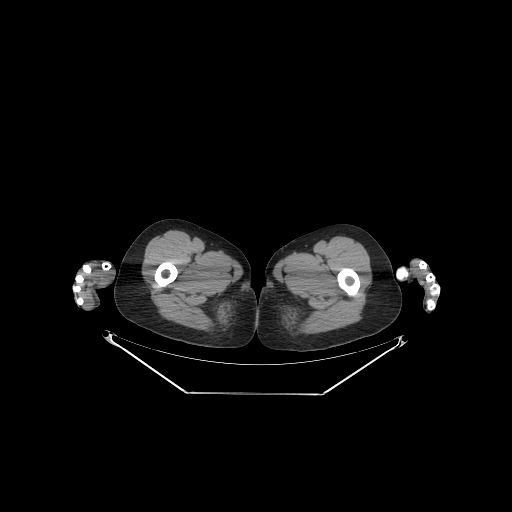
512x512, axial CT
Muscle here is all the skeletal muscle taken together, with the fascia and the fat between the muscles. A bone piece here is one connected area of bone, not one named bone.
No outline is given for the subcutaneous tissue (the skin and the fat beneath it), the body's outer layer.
The right arm is outlined by [[89,259],[104,259],[107,262],[113,264],[117,271],[112,281],[112,283],[104,288],[100,288],[97,290],[97,293],[100,299],[100,304],[95,309],[87,311],[78,307],[77,305],[78,304],[74,298],[73,282],[75,280],[76,272],[78,268],[85,261]]. The right leg is outlined by [[165,218],[180,218],[206,228],[237,246],[247,258],[251,268],[251,284],[256,297],[257,322],[252,339],[243,347],[233,349],[218,349],[190,345],[181,341],[172,340],[136,325],[123,317],[118,311],[113,297],[113,281],[125,252],[142,230],[150,224]]. The left arm is outlined by [[414,257],[420,258],[430,267],[431,272],[435,278],[435,281],[439,287],[439,294],[435,300],[435,305],[429,313],[427,313],[423,309],[422,299],[424,291],[418,282],[416,280],[413,280],[410,283],[406,283],[400,281],[398,277],[398,268],[406,264]]. The left leg is outlined by [[335,223],[349,223],[365,229],[376,239],[387,254],[397,274],[398,284],[402,292],[402,306],[397,318],[387,328],[375,335],[326,350],[298,352],[268,349],[260,343],[255,331],[258,322],[257,298],[265,281],[265,268],[270,257],[276,250],[291,240]]. The muscle appears in 4 outlined pieces: piece 1: [[170,229],[182,230],[199,237],[207,246],[222,250],[241,265],[243,272],[240,278],[227,288],[223,296],[228,301],[234,300],[237,303],[237,313],[224,330],[213,332],[198,330],[169,321],[158,314],[150,294],[144,286],[141,265],[147,243],[156,235]], around a hole outlined by [[164,261],[171,261],[176,266],[176,268],[178,271],[178,273],[177,274],[177,276],[176,278],[173,281],[170,282],[166,286],[164,287],[158,287],[157,286],[157,283],[154,279],[154,273],[155,272],[155,270],[156,268],[159,265],[159,264]]; piece 2: [[336,235],[351,237],[360,242],[370,257],[372,283],[367,291],[367,302],[363,310],[363,317],[360,321],[342,328],[316,334],[292,335],[280,322],[278,308],[286,306],[293,299],[275,278],[273,274],[274,266],[280,259],[293,251],[311,248],[317,241]], around a hole outlined by [[342,267],[349,267],[350,268],[352,268],[358,274],[359,276],[359,281],[360,282],[360,285],[359,286],[359,288],[357,292],[357,295],[355,296],[349,296],[346,293],[346,292],[344,291],[338,285],[338,282],[337,281],[337,274],[340,270],[340,269]]; piece 3: [[90,263],[100,264],[104,271],[111,269],[114,273],[114,276],[111,279],[101,283],[95,283],[91,288],[94,303],[91,306],[84,306],[84,299],[81,295],[78,296],[78,293],[81,291],[85,279],[81,272],[82,271],[85,274],[90,274],[92,271]]; piece 4: [[415,262],[418,262],[418,267],[421,270],[426,269],[427,270],[427,272],[424,276],[424,279],[427,283],[429,283],[428,287],[430,295],[429,297],[428,297],[428,288],[423,282],[422,278],[418,275],[413,274],[409,275],[408,270],[413,266],[413,264]]. The bones appear in 9 outlined pieces: piece 1: [[342,267],[349,267],[350,268],[352,268],[358,274],[359,276],[359,281],[360,282],[360,285],[359,286],[359,288],[357,292],[357,295],[355,296],[349,296],[346,293],[346,292],[344,291],[338,285],[338,282],[337,281],[337,274],[340,270],[340,269]]; piece 2: [[164,261],[171,261],[176,266],[176,268],[178,271],[178,273],[177,274],[177,276],[176,278],[173,281],[170,282],[166,286],[164,287],[158,287],[157,286],[157,283],[154,279],[154,273],[155,272],[155,270],[156,268],[159,265],[159,264]]; piece 3: [[428,272],[431,272],[433,274],[435,278],[435,281],[439,287],[439,294],[435,300],[435,305],[431,310],[430,309],[428,309],[427,307],[427,300],[428,298],[431,296],[430,294],[430,291],[429,290],[430,283],[429,282],[427,282],[425,279],[425,276]]; piece 4: [[78,273],[81,273],[83,275],[83,277],[84,279],[81,285],[81,287],[80,288],[80,291],[76,293],[74,292],[74,290],[73,289],[73,285],[75,283],[75,277],[76,276],[76,274]]; piece 5: [[400,267],[404,267],[405,268],[406,268],[406,269],[408,272],[408,276],[406,278],[405,278],[404,279],[402,279],[401,280],[400,280],[399,279],[398,279],[396,276],[396,272],[397,271],[397,270],[398,269],[398,268],[399,268]]; piece 6: [[83,264],[89,264],[89,265],[90,266],[90,267],[91,268],[91,271],[90,272],[90,273],[85,273],[84,272],[83,272],[83,271],[82,270],[82,266],[83,265]]; piece 7: [[104,262],[108,262],[110,264],[110,268],[109,269],[108,269],[107,270],[104,270],[102,268],[102,267],[101,266],[101,264],[102,263],[103,263]]; piece 8: [[421,260],[422,260],[423,261],[424,262],[425,262],[425,263],[426,264],[427,265],[426,266],[426,267],[426,268],[425,269],[424,269],[423,269],[422,269],[421,269],[420,268],[419,267],[419,266],[419,265],[419,264],[419,263],[419,262],[420,261]]; piece 9: [[79,296],[80,296],[81,296],[82,297],[82,298],[83,299],[83,300],[83,301],[83,302],[83,303],[82,304],[81,304],[80,305],[79,305],[78,304],[77,303],[76,302],[76,301],[76,300],[75,299],[76,298],[76,297],[77,297],[78,297]].